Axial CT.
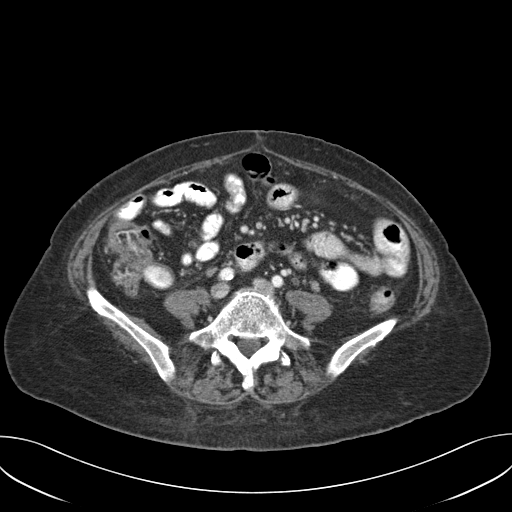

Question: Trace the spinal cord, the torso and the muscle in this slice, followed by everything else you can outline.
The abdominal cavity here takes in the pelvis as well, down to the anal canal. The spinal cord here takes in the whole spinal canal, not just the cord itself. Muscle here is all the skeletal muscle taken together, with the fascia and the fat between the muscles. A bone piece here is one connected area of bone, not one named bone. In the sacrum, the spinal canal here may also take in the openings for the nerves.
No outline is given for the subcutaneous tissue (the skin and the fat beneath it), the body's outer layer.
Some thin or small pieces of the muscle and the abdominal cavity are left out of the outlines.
Answer: The spinal cord is outlined by 239 338; 245 338; 246 339; 261 339; 261 341; 262 342; 262 344; 260 346; 260 347; 259 347; 254 352; 253 352; 249 356; 246 356; 239 349; 239 348; 238 347; 238 346; 237 345; 237 344; 236 343; 236 342; 237 341; 237 340. The torso is outlined by 235 129; 285 130; 340 144; 388 171; 417 198; 445 236; 487 320; 492 346; 490 364; 470 397; 376 434; 320 446; 252 451; 188 447; 130 435; 36 399; 16 387; 4 361; 4 327; 54 227; 70 205; 102 177; 141 154; 184 138. The muscle appears in 2 outlined pieces: piece 1: 198 287; 205 288; 210 305; 195 318; 195 328; 188 331; 187 340; 203 349; 212 349; 209 361; 214 367; 223 362; 222 356; 225 357; 241 374; 240 384; 246 391; 253 389; 254 374; 263 364; 279 361; 282 366; 288 367; 291 358; 286 349; 307 351; 311 347; 310 338; 300 324; 303 316; 297 310; 292 311; 286 299; 289 290; 321 294; 332 306; 331 314; 314 326; 311 337; 336 341; 361 332; 341 343; 331 354; 325 374; 337 378; 306 398; 273 403; 258 401; 248 395; 232 402; 204 402; 185 397; 164 383; 169 384; 176 375; 169 345; 124 312; 143 319; 166 338; 179 336; 188 330; 166 309; 164 299; 175 290; piece 2: 252 145; 264 146; 280 154; 308 161; 349 177; 387 198; 409 216; 431 244; 439 267; 439 283; 432 309; 415 324; 382 342; 369 353; 364 362; 350 365; 360 353; 382 341; 398 323; 400 319; 398 316; 407 313; 414 303; 419 285; 419 266; 414 242; 398 217; 367 193; 347 185; 340 179; 296 166; 267 152; 261 150; 247 151; 222 163; 196 169; 167 183; 152 186; 134 195; 113 210; 93 245; 91 270; 95 286; 89 285; 85 289; 87 302; 97 314; 110 320; 125 331; 142 348; 153 365; 156 375; 119 343; 91 311; 82 308; 82 304; 74 295; 67 278; 67 262; 70 252; 90 221; 117 199; 177 167; 228 154. The abdominal cavity is outlined by 253 151; 340 180; 397 217; 418 266; 407 312; 327 340; 310 335; 333 311; 321 293; 285 293; 302 316; 303 335; 270 292; 240 287; 195 329; 210 294; 203 286; 178 288; 162 304; 187 331; 166 337; 101 293; 93 248; 116 208. The bones appear in 3 outlined pieces: piece 1: 240 288; 270 293; 279 302; 287 325; 309 338; 311 344; 307 350; 286 348; 290 358; 288 366; 279 360; 263 363; 253 374; 251 390; 242 387; 242 374; 225 356; 214 366; 210 361; 213 349; 188 340; 190 332; 211 322, around a hole outlined by 239 338; 245 338; 246 339; 261 339; 261 341; 262 342; 262 344; 260 346; 260 347; 259 347; 254 352; 253 352; 249 356; 246 356; 239 349; 239 348; 238 347; 238 346; 237 345; 237 344; 236 343; 236 342; 237 341; 237 340; piece 2: 89 286; 94 286; 107 300; 121 310; 134 323; 168 345; 169 347; 169 355; 175 367; 175 375; 174 378; 169 383; 166 383; 161 379; 158 375; 157 371; 148 354; 125 330; 121 328; 110 319; 97 313; 90 306; 86 296; 86 289; piece 3: 393 316; 397 316; 399 319; 397 323; 393 327; 392 330; 382 340; 379 341; 374 346; 369 346; 360 352; 354 358; 346 369; 337 377; 333 378; 326 374; 326 366; 334 351; 341 344; 361 333; 368 328; 377 324; 379 322.